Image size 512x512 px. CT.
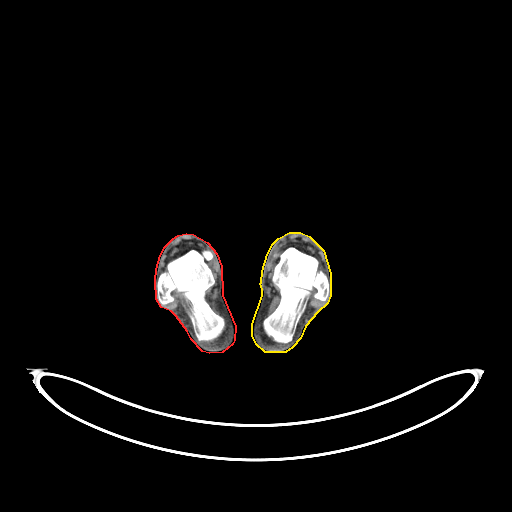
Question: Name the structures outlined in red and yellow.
Answer: red: right leg; yellow: left leg.
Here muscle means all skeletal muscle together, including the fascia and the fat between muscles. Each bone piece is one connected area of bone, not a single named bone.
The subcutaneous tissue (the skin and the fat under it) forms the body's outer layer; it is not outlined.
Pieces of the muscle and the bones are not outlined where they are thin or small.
right leg: 186 233; 193 234; 207 242; 216 253; 221 266; 222 295; 235 326; 234 340; 232 344; 222 352; 209 353; 202 351; 191 339; 187 331; 176 316; 171 311; 161 307; 156 299; 155 280; 156 269; 160 255; 165 246; 173 238; 178 235
left leg: 289 232; 300 232; 309 236; 323 250; 330 273; 330 295; 327 303; 317 312; 305 326; 300 338; 292 347; 285 352; 265 352; 256 344; 252 335; 252 324; 262 295; 262 289; 260 283; 261 282; 262 271; 267 254; 273 243; 278 238
bones 1: 289 246; 293 246; 318 259; 318 268; 327 275; 330 291; 325 302; 315 298; 312 293; 305 299; 306 307; 292 339; 287 343; 280 343; 274 341; 264 332; 262 321; 276 308; 280 301; 279 289; 272 281; 273 270; 278 260; 278 254
bones 2: 192 248; 199 251; 210 249; 214 252; 208 264; 215 282; 206 290; 205 298; 210 307; 224 318; 225 327; 211 341; 197 339; 188 316; 191 304; 181 292; 174 291; 174 299; 167 305; 162 305; 156 296; 156 281; 166 269; 167 262
muscle 1: 292 237; 303 237; 307 242; 315 247; 319 255; 317 257; 293 245; 287 246; 277 254; 277 260; 272 270; 271 281; 273 285; 278 289; 280 297; 275 308; 266 315; 270 302; 267 294; 267 288; 269 285; 267 267; 274 250; 280 244
muscle 2: 180 241; 193 241; 194 242; 196 242; 197 243; 201 244; 206 248; 203 248; 199 250; 196 248; 192 247; 186 250; 184 252; 168 260; 165 264; 165 269; 162 271; 162 265; 163 264; 163 261; 169 249; 177 242; 179 242
muscle 3: 214 257; 218 267; 217 279; 215 285; 215 288; 217 290; 217 297; 215 301; 217 304; 217 307; 219 309; 220 313; 222 315; 216 312; 211 307; 209 302; 206 298; 206 292; 207 290; 211 288; 216 282; 212 269; 209 264; 209 262
muscle 4: 174 292; 181 293; 183 297; 189 302; 190 307; 189 308; 189 311; 187 312; 187 316; 189 319; 189 321; 191 325; 190 325; 190 323; 185 314; 177 307; 176 308; 173 308; 168 306; 168 304; 173 302; 175 299; 175 297; 173 294
muscle 5: 312 294; 312 296; 315 299; 320 301; 321 302; 321 303; 318 306; 317 306; 316 307; 309 307; 305 312; 303 317; 300 321; 300 320; 301 319; 304 312; 306 310; 306 308; 307 307; 307 301; 306 300; 306 299; 307 299